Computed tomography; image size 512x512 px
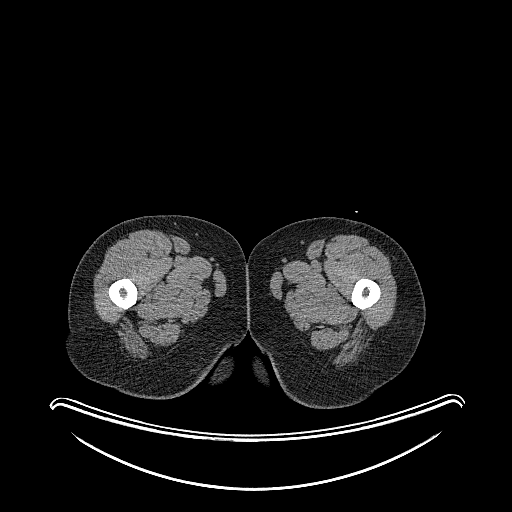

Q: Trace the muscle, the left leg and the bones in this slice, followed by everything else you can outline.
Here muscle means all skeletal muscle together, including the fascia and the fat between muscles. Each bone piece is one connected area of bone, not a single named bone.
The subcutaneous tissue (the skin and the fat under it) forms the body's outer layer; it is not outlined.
A: The muscle appears in 2 outlined pieces: piece 1: (155, 227) (172, 230) (219, 264) (228, 277) (228, 296) (219, 305) (208, 312) (191, 330) (191, 334) (168, 354) (149, 363) (133, 363) (126, 359) (122, 353) (120, 348) (121, 344) (116, 334) (96, 315) (93, 304) (93, 278) (101, 265) (105, 251) (110, 244) (132, 231) with a hole at (124, 277) (129, 278) (134, 283) (137, 288) (137, 291) (138, 292) (137, 293) (137, 300) (136, 302) (133, 305) (132, 305) (127, 309) (123, 309) (122, 308) (120, 308) (117, 305) (116, 305) (110, 299) (109, 295) (108, 294) (108, 288) (111, 283) (118, 279) (120, 279); piece 2: (337, 231) (348, 231) (361, 234) (376, 243) (388, 255) (394, 268) (397, 285) (397, 297) (392, 318) (371, 341) (363, 358) (351, 370) (339, 373) (335, 373) (324, 367) (304, 346) (291, 326) (287, 315) (272, 296) (269, 286) (270, 276) (274, 267) (289, 248) (327, 233), around a hole outlined by (360, 278) (369, 278) (375, 281) (378, 284) (380, 288) (380, 296) (378, 300) (371, 306) (365, 309) (360, 309) (358, 307) (355, 306) (351, 302) (351, 293) (352, 292) (352, 290) (353, 289) (354, 284) (355, 282) (358, 279). The left leg appears in 2 outlined pieces: piece 1: (323, 216) (344, 217) (365, 222) (397, 240) (406, 250) (415, 268) (425, 301) (423, 332) (416, 351) (405, 369) (365, 400) (350, 406) (331, 409) (308, 407) (291, 400) (284, 393) (268, 358) (261, 354) (252, 339) (246, 282) (248, 257) (253, 247) (261, 239) (292, 222); piece 2: (254, 354) (258, 355) (264, 362) (264, 364) (266, 367) (266, 370) (268, 373) (268, 376) (270, 379) (270, 382) (271, 383) (270, 387) (265, 387) (261, 385) (259, 383) (258, 383) (257, 381) (256, 381) (253, 376) (253, 374) (251, 370) (251, 359) (252, 358) (252, 356). The bones appear in 2 outlined pieces: piece 1: (360, 278) (369, 278) (375, 281) (378, 284) (380, 288) (380, 296) (378, 300) (371, 306) (365, 309) (360, 309) (358, 307) (355, 306) (351, 302) (351, 293) (352, 292) (352, 290) (353, 289) (354, 284) (355, 282) (358, 279); piece 2: (124, 277) (129, 278) (134, 283) (137, 288) (137, 291) (138, 292) (137, 293) (137, 300) (136, 302) (133, 305) (132, 305) (127, 309) (123, 309) (122, 308) (120, 308) (117, 305) (116, 305) (110, 299) (109, 295) (108, 294) (108, 288) (111, 283) (118, 279) (120, 279). The right leg is outlined by (157, 214) (200, 218) (222, 227) (238, 241) (247, 258) (245, 282) (251, 334) (247, 332) (237, 346) (227, 351) (234, 355) (235, 367) (224, 383) (210, 386) (207, 375) (181, 395) (161, 400) (126, 395) (86, 378) (71, 363) (65, 348) (70, 284) (87, 248) (123, 220).